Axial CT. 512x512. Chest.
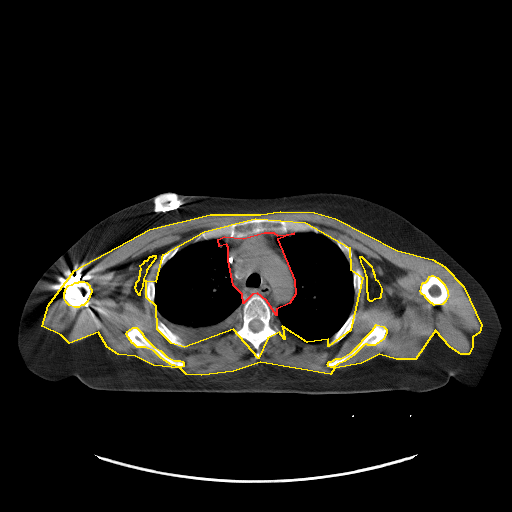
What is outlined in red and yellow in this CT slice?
red: mediastinum; yellow: muscle.
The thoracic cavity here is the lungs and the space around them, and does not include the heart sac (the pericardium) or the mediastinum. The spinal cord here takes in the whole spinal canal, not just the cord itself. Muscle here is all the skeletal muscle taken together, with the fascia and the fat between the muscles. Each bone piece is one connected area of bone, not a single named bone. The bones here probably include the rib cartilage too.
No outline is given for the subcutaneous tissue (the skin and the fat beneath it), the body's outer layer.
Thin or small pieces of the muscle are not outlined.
{"mediastinum":[[[264,232],[273,232],[277,235],[294,233],[277,239],[294,280],[295,294],[289,303],[276,309],[276,315],[266,300],[257,293],[252,294],[243,303],[242,294],[233,285],[228,260],[228,247],[226,244],[219,246],[218,239],[224,236],[243,238]]],"muscle":[{"outer":[[280,211],[314,212],[335,218],[397,250],[432,259],[444,266],[463,286],[481,325],[479,332],[472,337],[472,347],[468,354],[461,354],[450,347],[435,330],[415,359],[396,359],[379,354],[361,363],[334,368],[330,374],[260,362],[233,371],[201,375],[186,374],[180,368],[153,365],[135,356],[118,354],[107,347],[98,332],[69,343],[61,335],[42,326],[48,305],[74,270],[149,229],[210,214],[260,214]],"holes":[[[255,218],[305,222],[349,247],[350,269],[362,277],[350,330],[328,346],[328,339],[307,342],[282,326],[284,339],[279,332],[267,338],[258,358],[233,329],[184,347],[171,343],[157,329],[156,306],[146,297],[146,280],[156,281],[163,254],[204,231]],[[431,275],[433,275],[437,277],[443,283],[447,290],[447,293],[448,295],[445,301],[442,304],[434,305],[432,303],[431,303],[425,297],[425,296],[421,293],[420,291],[422,283],[423,282],[425,282],[428,279],[429,276]],[[79,281],[84,281],[86,282],[89,285],[89,287],[91,289],[91,291],[87,301],[83,305],[81,305],[78,307],[74,307],[69,305],[66,302],[64,298],[64,292],[65,291],[65,289],[68,285],[72,284],[75,282],[78,282]],[[376,324],[383,326],[386,329],[386,332],[383,339],[374,345],[368,345],[367,344],[365,344],[363,345],[353,355],[344,361],[337,364],[333,367],[330,367],[328,366],[327,364],[329,361],[331,361],[336,358],[340,358],[351,352],[372,330]],[[133,327],[136,327],[141,332],[144,337],[153,346],[160,350],[166,356],[174,360],[180,360],[182,361],[183,362],[183,366],[181,367],[177,367],[174,365],[172,365],[161,358],[154,351],[145,347],[137,347],[133,343],[132,343],[126,334],[127,331]],[[360,256],[361,256],[371,266],[372,270],[373,271],[373,273],[374,274],[374,277],[375,279],[377,280],[381,288],[380,297],[379,298],[374,299],[371,301],[370,301],[368,299],[368,293],[367,292],[367,277],[366,276],[365,270],[361,262]],[[153,255],[155,255],[155,258],[146,270],[146,272],[143,278],[142,286],[139,292],[139,295],[136,291],[135,286],[136,285],[136,282],[139,279],[139,276],[140,275],[140,270],[141,269],[140,265],[143,263],[145,260],[147,260],[150,256],[152,256]]]}],"thoracic_cavity":[[[212,239],[218,240],[218,246],[220,248],[223,245],[227,247],[227,260],[232,285],[241,294],[243,304],[241,312],[239,313],[239,321],[231,331],[220,338],[200,343],[185,342],[161,321],[154,303],[156,295],[155,282],[161,268],[177,252],[190,244]],[[306,232],[323,235],[333,242],[342,252],[352,272],[352,287],[354,294],[350,313],[342,325],[330,338],[315,343],[304,341],[288,331],[281,325],[276,316],[277,309],[289,304],[296,294],[295,280],[284,252],[278,243],[278,239],[290,237],[295,233]]],"spinal_cord":[[[255,319],[257,319],[258,320],[259,320],[263,324],[263,326],[262,327],[262,328],[261,329],[260,329],[259,330],[258,330],[257,331],[253,331],[249,327],[249,324],[250,323],[250,322],[251,321],[252,321],[253,320],[254,320]]],"left_arm":[[[440,246],[466,269],[483,287],[488,294],[492,303],[495,307],[501,324],[501,327],[495,345],[491,353],[491,355],[477,383],[473,387],[468,387],[460,383],[453,377],[451,377],[438,357],[434,346],[434,342],[416,289],[416,273],[424,256],[430,254]]],"bones":[[[255,218],[272,218],[286,221],[301,221],[316,227],[319,233],[315,233],[312,231],[289,231],[285,234],[277,234],[273,231],[264,231],[243,237],[230,237],[224,235],[218,238],[193,242],[204,231],[221,226],[223,224],[230,224],[234,222],[240,222]],{"outer":[[254,294],[261,296],[273,310],[281,326],[281,329],[285,333],[284,339],[284,337],[279,332],[263,341],[258,349],[258,358],[255,358],[256,350],[249,341],[244,338],[234,336],[233,334],[236,326],[240,321],[240,313],[242,312],[244,303]],"hole":[[255,319],[257,319],[258,320],[259,320],[263,324],[263,326],[262,327],[262,328],[261,329],[260,329],[259,330],[258,330],[257,331],[253,331],[249,327],[249,324],[250,323],[250,322],[251,321],[252,321],[253,320],[254,320]]},[[431,275],[433,275],[437,277],[443,283],[447,290],[447,293],[448,295],[445,301],[442,304],[434,305],[432,303],[431,303],[425,297],[425,296],[421,293],[420,291],[422,283],[423,282],[425,282],[428,279],[429,276]],[[79,281],[84,281],[86,282],[89,285],[89,287],[91,289],[91,291],[87,301],[83,305],[81,305],[78,307],[74,307],[69,305],[66,302],[64,298],[64,292],[65,291],[65,289],[68,285],[72,284],[75,282],[78,282]],[[376,324],[383,326],[386,329],[386,332],[383,339],[374,345],[368,345],[367,344],[365,344],[363,345],[353,355],[344,361],[337,364],[333,367],[330,367],[328,366],[327,364],[329,361],[331,361],[336,358],[340,358],[351,352],[372,330]],[[133,327],[136,327],[141,332],[144,337],[153,346],[160,350],[166,356],[174,360],[180,360],[182,361],[183,362],[183,366],[181,367],[177,367],[174,365],[172,365],[161,358],[154,351],[145,347],[137,347],[133,343],[132,343],[126,334],[127,331]],[[352,312],[355,312],[356,313],[356,317],[355,318],[355,320],[350,330],[347,333],[347,334],[338,342],[330,346],[328,346],[327,344],[329,340],[331,338],[331,337],[343,325],[343,324],[346,321],[349,315]],[[156,320],[160,320],[160,321],[163,324],[164,324],[173,333],[179,336],[183,340],[185,344],[185,346],[184,347],[180,347],[179,346],[177,346],[171,343],[168,340],[167,340],[160,333],[160,332],[157,329],[156,327]],[[357,268],[358,268],[359,269],[360,269],[360,270],[361,271],[361,276],[362,277],[361,278],[361,288],[360,289],[360,291],[359,292],[359,295],[358,296],[355,296],[355,294],[354,293],[354,288],[353,287],[353,271],[355,269],[356,269]],[[148,278],[149,278],[150,279],[151,279],[152,280],[153,280],[154,281],[154,286],[155,287],[155,295],[154,296],[154,299],[153,300],[153,303],[152,304],[150,304],[149,303],[149,302],[148,301],[148,300],[147,299],[147,298],[146,297],[146,280]],[[175,245],[179,245],[179,250],[178,251],[177,251],[176,252],[176,253],[171,258],[170,258],[161,267],[160,266],[160,262],[161,261],[161,259],[162,258],[162,256],[163,255],[163,254],[167,250],[168,250],[171,247],[172,247],[173,246],[174,246]],[[335,239],[339,239],[340,240],[341,240],[344,243],[345,243],[349,247],[349,248],[351,250],[351,251],[352,252],[352,255],[351,256],[351,257],[348,260],[347,259],[346,256],[343,253],[343,252],[338,247],[338,246],[334,242],[334,240]]],"right_arm":[[[76,241],[77,241],[83,259],[94,283],[94,299],[91,306],[91,319],[89,328],[89,337],[87,343],[87,354],[85,367],[78,377],[70,376],[59,381],[48,381],[35,375],[28,370],[26,367],[17,346],[18,324],[25,301],[35,283],[50,265]]],"torso":[[[313,192],[348,194],[383,205],[403,216],[439,245],[423,256],[415,273],[415,289],[435,353],[450,377],[445,385],[424,392],[406,390],[336,394],[158,392],[94,389],[78,378],[86,367],[95,283],[77,240],[91,227],[120,209],[166,193],[264,198]]]}